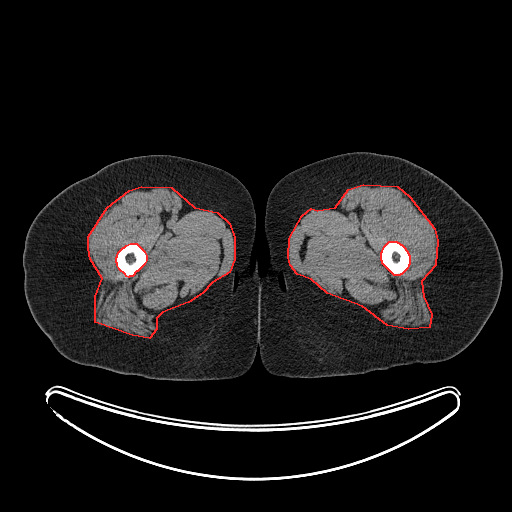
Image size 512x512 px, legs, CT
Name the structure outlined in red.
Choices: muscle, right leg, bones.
red: muscle.
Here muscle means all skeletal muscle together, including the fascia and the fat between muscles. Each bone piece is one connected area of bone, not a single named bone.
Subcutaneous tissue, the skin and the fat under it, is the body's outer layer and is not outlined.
muscle 1: 141,186 171,187 194,207 217,212 229,223 234,237 234,259 229,272 212,282 202,293 188,302 162,312 156,318 156,329 149,338 132,335 95,322 95,296 102,278 90,259 88,248 88,236 107,207 129,190 with a hole at 130,243 136,243 144,251 146,255 146,260 144,264 137,271 136,271 132,276 129,276 128,277 126,276 125,274 119,269 117,265 117,263 116,262 116,257 117,256 117,254 118,252 123,247 124,247 126,245
muscle 2: 363,184 397,186 409,196 434,228 437,240 435,265 421,281 423,296 431,314 429,327 408,329 387,325 362,306 327,293 311,279 297,274 290,265 288,257 289,238 302,215 311,208 317,210 335,207 348,189; inner edge: 389,241 396,241 397,242 398,242 400,244 401,244 405,248 405,249 407,251 407,252 409,255 409,264 408,265 407,268 401,274 400,274 399,275 394,275 382,263 382,261 381,260 381,252 382,251 384,246
left leg: 355,151 405,158 448,183 476,209 493,234 502,261 503,276 497,303 475,339 444,361 398,365 345,376 290,378 272,375 264,368 260,357 258,286 258,272 265,274 269,265 264,233 268,195 289,172 326,157
bones 1: 389,241 396,241 397,242 398,242 400,244 401,244 405,248 405,249 407,251 407,252 409,255 409,264 408,265 407,268 401,274 400,274 399,275 394,275 382,263 382,261 381,260 381,252 382,251 384,246
bones 2: 130,243 136,243 144,251 146,255 146,260 144,264 137,271 136,271 132,276 129,276 128,277 126,276 125,274 119,269 117,265 117,263 116,262 116,257 117,256 117,254 118,252 123,247 124,247 126,245
right leg: 149,154 176,155 221,168 235,176 251,195 256,232 250,269 255,260 258,263 260,349 256,350 249,370 239,377 205,381 158,380 82,365 60,354 31,315 24,294 22,255 26,234 35,216 70,184 114,161